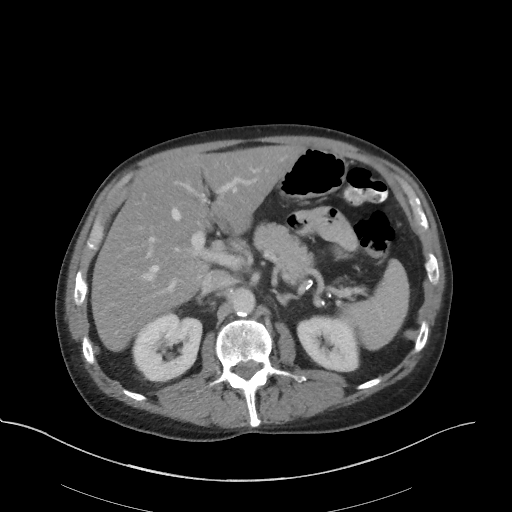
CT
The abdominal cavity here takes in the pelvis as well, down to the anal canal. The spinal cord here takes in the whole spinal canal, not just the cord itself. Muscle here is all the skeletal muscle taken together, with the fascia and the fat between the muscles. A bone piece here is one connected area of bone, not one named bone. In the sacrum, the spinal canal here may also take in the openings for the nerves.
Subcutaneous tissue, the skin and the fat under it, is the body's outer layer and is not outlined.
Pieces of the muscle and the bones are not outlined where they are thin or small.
Outlined structures:
abdominal cavity: 249,142 328,149 387,181 425,260 413,347 389,371 351,383 296,364 296,343 284,323 274,324 274,342 262,322 238,318 215,338 206,334 197,373 145,394 125,388 104,372 89,336 87,277 104,230 154,167
torso: 264,123 317,125 361,137 400,159 426,188 443,227 453,270 445,343 428,385 398,412 359,427 327,433 245,433 193,442 166,439 100,417 83,400 68,374 54,315 60,266 88,202 119,163 146,147 197,131
spinal cord: 250,360 252,360 253,361 254,361 257,363 259,363 260,364 260,368 259,369 258,369 248,379 245,379 243,377 242,377 241,376 238,375 233,370 234,367 238,363 239,363 240,362 247,362
bones 1: 238,319 255,320 265,326 272,340 269,359 275,368 306,378 299,382 288,376 269,376 255,392 255,407 260,420 256,427 249,423 247,403 241,389 232,387 226,381 208,385 222,373 215,351 217,335 224,325 with a hole at 250,360 252,360 253,361 254,361 257,363 259,363 260,364 260,368 259,369 258,369 248,379 245,379 243,377 242,377 241,376 238,375 233,370 234,367 238,363 239,363 240,362 247,362
bones 2: 401,180 403,180 406,182 411,187 414,193 418,197 420,201 420,205 421,206 421,208 423,210 428,222 428,228 427,229 424,229 417,223 416,219 414,216 414,213 409,203 408,196 402,187 402,183 401,182
bones 3: 98,214 100,214 100,217 101,218 101,222 103,226 103,231 102,232 102,237 101,238 101,240 99,243 99,245 97,249 96,250 93,250 87,247 86,245 86,242 89,237 89,235 92,229 94,221
bones 4: 79,270 81,270 82,272 82,276 85,279 87,283 87,292 86,293 86,295 85,296 85,298 83,302 80,305 76,305 74,302 74,299 73,298 73,292 74,291 74,287 75,286 75,277 76,276 77,272
bones 5: 429,252 432,252 434,254 437,260 437,263 438,264 438,268 439,269 439,279 438,280 438,282 436,284 433,284 431,283 428,279 428,277 427,276 427,272 426,271 426,269 424,265 427,259 427,254
bones 6: 422,320 425,320 428,325 428,333 427,334 427,339 422,349 421,349 417,352 415,352 414,351 414,345 415,344 416,337 418,334 418,331 420,327 420,324
bones 7: 84,336 87,336 91,342 91,345 92,346 92,349 93,350 93,355 94,356 94,362 92,364 91,364 90,363 89,363 85,359 85,358 83,355 83,352 82,351 82,339
bones 8: 376,377 380,377 380,378 381,379 381,380 377,384 376,384 373,386 371,386 370,387 368,387 367,388 363,388 362,389 357,389 356,388 357,385 358,385 363,382 365,382 368,380 370,380 373,378 375,378
bones 9: 124,388 125,389 127,389 128,390 129,390 130,391 132,391 133,392 137,392 138,393 140,393 141,394 144,395 146,397 146,399 145,399 144,400 136,400 135,399 134,399 133,398 126,395 122,391
bones 10: 120,182 120,184 119,185 119,186 118,187 118,188 117,189 117,190 116,191 116,192 112,196 112,197 108,201 107,201 107,195 108,194 108,193 118,183 119,183
muscle: 275,135 318,136 349,143 395,164 421,190 436,224 445,272 442,303 422,357 406,376 360,401 304,419 260,425 256,392 269,377 288,377 299,383 307,379 303,374 272,364 273,341 278,338 276,323 289,330 295,343 294,363 301,369 331,372 358,384 357,390 367,389 377,385 382,380 380,376 399,364 412,348 417,353 425,346 429,333 429,325 422,319 425,283 427,278 436,285 440,269 432,251 425,259 422,242 396,192 371,165 315,145 249,141 158,164 129,189 104,229 98,213 85,242 88,249 95,251 86,280 81,269 75,274 72,298 76,306 86,298 88,336 81,339 84,359 92,365 95,358 103,372 123,387 121,391 136,401 144,401 146,394 197,374 202,368 203,342 212,332 221,373 207,385 226,382 241,390 250,427 212,428 182,422 108,396 83,366 78,343 65,318 71,257 98,196 125,168 157,152 209,141 with holes at 401,180 403,180 406,182 411,187 414,193 418,197 420,201 420,205 421,206 421,208 423,210 428,222 428,228 427,229 424,229 417,223 416,219 414,216 414,213 409,203 408,196 402,187 402,183 401,182 and at 120,182 120,184 119,185 119,186 118,187 118,188 117,189 117,190 116,191 116,192 112,196 112,197 108,201 107,201 107,195 108,194 108,193 118,183 119,183